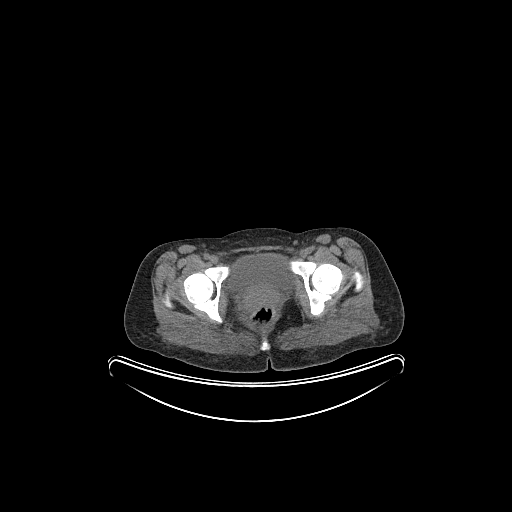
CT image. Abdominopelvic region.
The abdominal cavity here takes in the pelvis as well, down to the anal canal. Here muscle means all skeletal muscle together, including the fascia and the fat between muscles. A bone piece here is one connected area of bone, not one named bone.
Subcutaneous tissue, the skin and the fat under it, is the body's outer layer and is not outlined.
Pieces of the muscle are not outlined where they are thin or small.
Outlined structures:
bones 1: [[290,260],[313,261],[318,264],[331,263],[337,266],[344,275],[344,279],[340,284],[339,289],[331,296],[330,299],[325,302],[324,309],[320,315],[317,316],[311,314],[309,305],[309,298],[304,286],[303,279],[300,275],[294,273],[290,269],[289,265]]
bones 2: [[218,265],[228,265],[229,266],[229,273],[221,284],[219,300],[218,301],[218,312],[222,319],[222,322],[221,323],[219,323],[215,320],[212,320],[205,312],[195,308],[187,299],[183,288],[183,281],[190,274],[194,272],[202,271],[209,267],[217,266]]
bones 3: [[356,270],[357,270],[362,275],[362,277],[363,278],[363,280],[364,281],[364,282],[363,283],[363,285],[362,286],[362,287],[361,288],[361,289],[358,291],[357,291],[355,289],[355,281],[354,280],[354,279],[352,277],[352,276],[353,275],[353,273]]
bones 4: [[264,338],[265,338],[267,340],[267,341],[269,343],[269,344],[270,345],[270,349],[269,350],[267,350],[266,351],[262,351],[260,349],[260,346],[261,345],[261,343],[262,342],[262,340]]
bones 5: [[165,292],[167,292],[168,293],[168,294],[169,295],[169,297],[170,298],[170,301],[171,302],[171,307],[168,307],[167,306],[166,306],[164,304],[164,303],[163,302],[163,299],[164,298],[164,294],[165,293]]
muscle: [[325,233],[341,234],[353,239],[361,246],[368,263],[373,307],[380,326],[376,331],[352,337],[335,345],[315,348],[297,348],[292,350],[280,350],[275,347],[271,349],[270,343],[264,337],[259,346],[262,352],[253,356],[241,354],[211,354],[183,346],[168,345],[162,341],[156,333],[158,324],[153,311],[151,274],[156,260],[168,248],[188,243],[201,243],[214,250],[228,250],[256,245],[284,245],[298,248],[315,236]], around holes outlined by [[270,250],[285,252],[290,260],[331,263],[341,270],[344,279],[320,315],[311,314],[298,274],[293,295],[281,302],[266,333],[257,333],[242,317],[228,311],[225,281],[218,301],[221,323],[187,299],[183,281],[190,274],[228,265],[227,260],[236,253]] and by [[287,302],[293,302],[295,304],[295,305],[298,308],[299,308],[299,321],[298,321],[294,324],[291,324],[289,325],[287,327],[283,329],[280,332],[276,334],[272,338],[271,338],[270,337],[270,335],[275,330],[275,329],[277,327],[280,321],[282,312]] and by [[356,270],[357,270],[362,275],[362,277],[363,278],[363,280],[364,281],[364,282],[363,283],[363,285],[362,286],[362,287],[361,288],[361,289],[358,291],[357,291],[355,289],[355,281],[354,280],[354,279],[352,277],[352,276],[353,275],[353,273]] and by [[165,292],[167,292],[168,293],[168,294],[169,295],[169,297],[170,298],[170,301],[171,302],[171,307],[168,307],[167,306],[166,306],[164,304],[164,303],[163,302],[163,299],[164,298],[164,294],[165,293]]
abdominal cavity: [[270,250],[289,254],[287,257],[289,259],[288,265],[289,269],[295,274],[295,286],[293,295],[289,295],[281,302],[275,319],[266,333],[257,333],[242,317],[228,311],[229,297],[226,282],[224,281],[230,273],[230,266],[227,260],[231,255],[240,252]]
torso: [[339,226],[369,237],[389,267],[405,313],[403,329],[394,342],[359,349],[332,362],[303,369],[277,371],[269,366],[258,373],[232,373],[189,365],[137,347],[128,339],[123,325],[124,308],[137,269],[154,247],[184,238],[221,237],[247,228],[302,232]]